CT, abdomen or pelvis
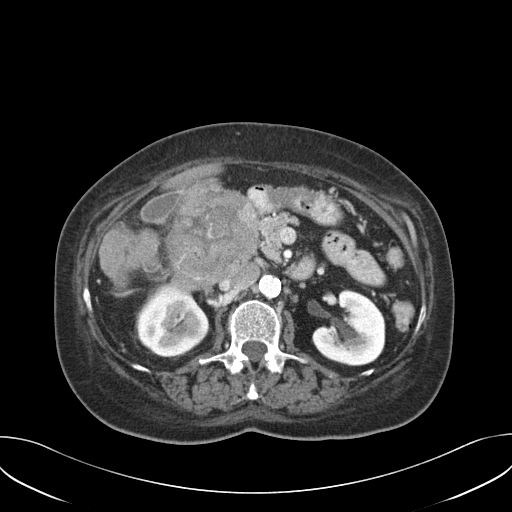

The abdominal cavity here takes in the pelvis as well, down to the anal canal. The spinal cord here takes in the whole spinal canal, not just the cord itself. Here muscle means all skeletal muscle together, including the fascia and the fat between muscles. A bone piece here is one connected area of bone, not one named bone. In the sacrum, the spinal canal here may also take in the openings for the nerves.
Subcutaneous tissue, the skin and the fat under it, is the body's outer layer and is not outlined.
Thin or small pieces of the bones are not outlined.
{"muscle":[{"outer":[[217,155],[238,155],[247,159],[253,159],[254,160],[260,159],[263,161],[287,161],[295,163],[312,164],[325,168],[329,168],[332,170],[340,172],[358,181],[360,183],[368,185],[382,193],[398,197],[402,200],[410,202],[416,205],[417,212],[420,218],[423,229],[425,232],[425,235],[427,238],[434,261],[434,267],[435,268],[435,306],[434,307],[434,316],[433,317],[433,322],[429,338],[426,345],[415,362],[398,380],[375,388],[343,404],[341,404],[333,409],[329,409],[326,411],[320,412],[313,415],[307,415],[306,416],[283,415],[279,413],[271,412],[262,407],[256,401],[252,401],[245,407],[228,412],[223,415],[207,419],[206,418],[201,418],[198,416],[163,405],[157,402],[154,399],[115,374],[110,367],[103,360],[91,344],[89,339],[75,316],[74,296],[73,295],[73,270],[74,269],[74,262],[80,240],[92,214],[96,209],[101,207],[113,197],[117,196],[126,191],[128,191],[137,186],[146,183],[153,176],[161,171],[163,171],[174,165],[185,162],[191,159],[203,157],[204,156],[216,156]],"holes":[[[208,162],[305,174],[369,206],[419,280],[418,331],[369,375],[342,375],[295,345],[284,310],[279,348],[308,361],[231,374],[221,361],[198,362],[230,344],[218,310],[209,349],[173,370],[133,368],[89,313],[83,288],[116,221],[164,179]],[[404,214],[406,214],[410,218],[414,226],[414,228],[415,229],[415,232],[416,233],[416,236],[417,237],[417,244],[416,246],[414,246],[412,243],[412,241],[410,237],[410,234],[409,233],[409,230],[408,229],[407,224],[404,218]],[[251,382],[253,382],[254,383],[254,384],[255,385],[255,387],[256,388],[256,390],[257,391],[257,393],[258,394],[258,398],[257,398],[254,400],[253,400],[252,399],[248,399],[246,397],[246,394],[249,389],[249,387],[250,386],[250,384],[251,383]]]}],"torso":[[[229,121],[291,124],[358,142],[396,165],[433,204],[445,232],[453,271],[453,345],[439,392],[415,419],[349,439],[294,440],[248,431],[209,443],[173,444],[107,426],[71,390],[58,361],[53,326],[55,253],[70,210],[94,182],[147,144],[187,128]]],"abdominal_cavity":[[[208,162],[305,174],[349,192],[385,221],[407,252],[421,300],[413,331],[389,361],[342,375],[295,345],[289,311],[281,315],[279,308],[256,298],[240,302],[226,320],[218,310],[209,349],[173,370],[132,361],[108,341],[89,288],[102,238],[164,179]]],"spinal_cord":[[[249,341],[256,341],[257,342],[261,342],[263,343],[266,346],[266,351],[264,353],[263,355],[263,357],[260,360],[258,361],[256,361],[255,362],[253,362],[251,361],[250,359],[242,351],[242,346],[243,344]]],"bones":[{"outer":[[251,299],[280,310],[282,327],[279,348],[284,352],[306,358],[306,363],[287,359],[281,373],[271,372],[262,365],[253,370],[245,366],[239,372],[231,374],[221,361],[204,364],[198,362],[200,358],[210,357],[228,348],[228,316],[240,303]],"hole":[[249,341],[256,341],[257,342],[261,342],[263,343],[266,346],[266,351],[264,353],[263,355],[263,357],[260,360],[258,361],[256,361],[255,362],[253,362],[251,361],[250,359],[242,351],[242,346],[243,344]]},[[404,214],[406,214],[410,218],[414,226],[414,228],[415,229],[415,232],[416,233],[416,236],[417,237],[417,244],[416,246],[414,246],[412,243],[412,241],[410,237],[410,234],[409,233],[409,230],[408,229],[407,224],[404,218]],[[422,301],[424,301],[425,302],[425,317],[421,324],[421,326],[420,328],[415,334],[414,333],[414,329],[417,323],[417,320],[418,319],[418,316],[419,315],[419,312],[420,311],[420,307],[421,306],[421,303]],[[86,284],[89,289],[89,292],[90,293],[90,298],[91,299],[91,305],[92,306],[92,312],[91,313],[89,313],[89,312],[86,307],[86,305],[85,304],[85,302],[83,299],[83,296],[82,295],[82,294],[83,293],[83,288],[84,287],[84,286]]]}